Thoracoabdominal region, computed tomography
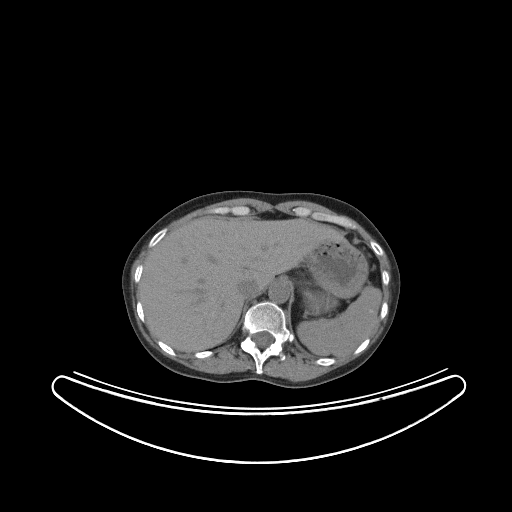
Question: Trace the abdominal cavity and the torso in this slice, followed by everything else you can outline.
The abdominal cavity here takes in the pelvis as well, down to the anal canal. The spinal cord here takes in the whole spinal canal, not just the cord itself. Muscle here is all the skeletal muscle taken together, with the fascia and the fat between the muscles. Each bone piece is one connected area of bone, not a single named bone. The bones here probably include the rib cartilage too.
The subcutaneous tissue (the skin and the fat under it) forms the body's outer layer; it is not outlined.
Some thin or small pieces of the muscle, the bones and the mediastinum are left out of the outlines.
Answer: Outlines:
abdominal cavity: 273,211 309,216 352,230 375,254 381,271 382,302 367,337 341,357 308,353 287,326 290,287 276,279 247,308 239,329 225,343 184,353 159,339 145,319 140,300 140,280 152,248 168,232 206,214 245,216
torso: 223,190 324,194 353,205 380,231 399,268 400,293 395,316 387,334 373,354 358,368 331,381 300,389 258,380 219,383 175,373 157,362 142,346 128,319 121,287 122,270 129,252 142,234 174,207 196,196
muscle 1: 148,241 147,246 151,249 143,265 139,263 133,274 134,282 139,283 136,313 143,323 145,320 151,331 157,336 156,342 159,347 172,357 177,354 176,352 179,352 192,353 198,359 207,358 214,353 213,349 231,340 241,326 246,334 240,341 239,347 252,357 255,372 247,370 215,374 195,370 166,357 145,339 137,325 133,312 130,271 133,262
muscle 2: 384,250 391,268 391,302 387,321 369,348 353,360 304,381 291,381 264,374 263,364 269,357 278,356 281,361 286,358 283,352 286,342 295,341 302,350 317,358 314,362 320,366 330,366 336,362 336,358 352,352 357,355 368,346 368,336 378,318 382,320 389,310 388,303 383,301 383,286 389,283 390,276 386,269 381,270 378,258 384,254
muscle 3: 234,198 253,198 270,203 273,205 285,201 305,200 320,204 338,214 341,214 332,214 323,211 312,210 306,206 300,205 292,208 291,210 293,214 282,212 278,210 264,211 250,214 251,209 247,205 233,205 232,206 223,205 205,208 203,210 203,212 205,214 200,215 189,221 186,221 170,231 168,231 168,228 166,226 172,221 198,208
muscle 4: 352,219 355,220 360,225 361,225 373,237 373,238 375,240 373,239 371,239 369,241 368,243 369,245 368,245 363,240 362,237 357,232 353,230 354,230 357,227 357,223 354,220
mediastinum: 276,280 281,280 283,282 286,283 289,287 289,301 285,311 274,301 271,301 270,300 261,300 254,303 256,299 262,294 264,290 265,290 266,288 267,288 268,286 269,286 270,284 272,283 272,282 275,282
spinal cord: 263,331 265,331 266,332 268,332 273,337 273,338 274,339 273,340 273,341 269,345 268,345 266,347 265,347 264,348 260,348 257,346 256,343 254,341 254,340 253,339 253,335 258,332 262,332
bones 1: 261,301 274,302 284,311 286,326 293,334 294,339 291,342 283,343 282,352 285,355 283,360 278,355 269,356 262,364 262,373 258,374 256,373 253,357 240,347 240,343 247,334 242,329 244,315 250,306, around a hole outlined by 263,331 265,331 266,332 268,332 273,337 273,338 274,339 273,340 273,341 269,345 268,345 266,347 265,347 264,348 260,348 257,346 256,343 254,341 254,340 253,339 253,335 258,332 262,332
bones 2: 300,206 301,207 306,207 312,211 323,212 332,215 342,215 345,216 354,221 356,223 356,227 354,229 350,229 331,221 325,221 324,220 315,219 309,215 306,216 296,215 294,214 292,210 293,208 299,207
bones 3: 223,206 227,206 228,207 232,207 233,206 247,206 249,207 250,209 250,212 248,214 246,214 245,215 234,215 231,213 225,213 224,214 223,213 205,213 204,212 204,210 205,209 212,208 213,207 222,207
bones 4: 164,227 166,227 167,228 167,232 165,234 165,235 155,245 154,245 152,247 149,247 148,246 148,243 149,242 149,241 150,240 150,239 152,237 152,236 155,233 156,233 159,230 160,230 162,228 163,228
bones 5: 371,240 373,240 374,241 376,241 381,246 381,247 382,248 382,249 383,250 383,254 382,255 381,255 380,256 377,256 376,255 376,254 373,251 373,250 370,247 370,245 369,244 369,243 370,242 370,241
bones 6: 158,340 161,340 164,343 165,343 166,344 167,344 173,350 174,350 174,351 176,354 174,356 172,356 171,355 170,355 169,354 168,354 165,351 164,351 160,347 160,346 158,344 158,343 157,342 157,341
bones 7: 318,358 334,358 335,359 335,362 334,363 333,363 332,364 331,364 330,365 320,365 319,364 317,364 315,362 315,361 316,360 316,359 317,359
bones 8: 368,337 369,338 369,342 368,343 368,344 367,345 367,346 362,351 361,351 359,353 358,353 357,354 354,354 353,353 353,352 354,351 354,350 355,350 356,349 356,348 366,338 367,338
bones 9: 139,300 141,302 141,305 142,306 142,308 143,309 143,313 144,314 144,322 143,322 140,319 140,318 139,317 139,316 138,315 138,314 137,313 137,301 138,301